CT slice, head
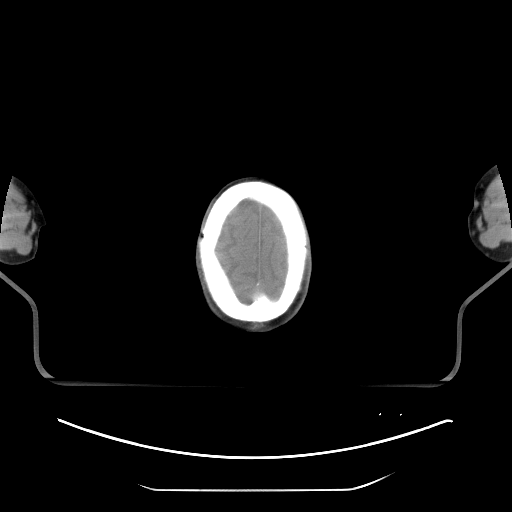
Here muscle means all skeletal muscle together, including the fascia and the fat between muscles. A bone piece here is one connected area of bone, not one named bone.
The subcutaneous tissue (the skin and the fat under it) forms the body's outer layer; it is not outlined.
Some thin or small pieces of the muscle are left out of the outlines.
Outlines (x, y in pixels):
right arm: 13,175 15,175 23,180 31,189 37,199 46,219 45,225 41,228 39,232 38,248 35,257 32,260 19,265 8,265 0,262 0,228 2,221 2,212 4,209 4,205 6,200 6,194 8,191 10,181
brain: 245,199 253,200 262,204 271,210 281,226 284,236 286,250 286,270 283,280 283,285 277,297 272,298 262,292 258,295 255,295 249,303 241,301 236,294 216,252 218,240 221,235 222,228 227,217 238,204
head: 243,176 261,176 269,178 277,182 287,190 301,208 311,240 313,270 307,297 299,312 291,320 284,325 267,332 247,332 235,329 216,319 210,313 204,303 194,267 194,248 200,230 202,218 210,200 228,182
left arm: 493,165 497,166 497,169 499,172 499,176 501,178 502,186 505,193 505,196 507,199 507,205 509,210 509,219 511,220 511,261 507,262 495,262 486,258 474,248 468,235 467,217 473,204 474,186 482,174
muscle 1: 10,182 16,185 25,196 27,202 33,212 37,225 37,228 33,239 32,249 29,254 23,256 22,255 9,255 1,253 0,254 0,228 2,221 2,212 4,209 4,205 6,200 6,194 8,191
muscle 2: 498,174 501,178 502,186 507,199 507,205 509,210 509,219 511,220 511,244 510,246 505,248 501,247 496,249 489,249 482,246 477,239 474,232 475,220 480,212 484,191 490,181 495,176 497,176
muscle 3: 308,257 309,258 309,267 308,268 308,273 306,277 306,280 304,284 303,290 301,292 301,293 299,294 299,295 296,299 302,287 302,283 303,282 304,274 305,273 305,268 306,267 306,262 307,261 307,258
muscle 4: 198,256 198,258 199,259 199,266 202,273 202,279 205,284 206,289 210,296 210,298 212,300 214,304 208,297 206,293 206,291 204,288 203,282 202,281 202,278 200,275 200,270 199,269 199,265 198,264
bones: 244,180 267,181 280,186 289,192 301,210 309,234 310,255 306,258 300,290 293,303 285,313 277,318 265,322 237,320 227,316 217,307 211,298 203,279 196,244 198,237 201,235 200,225 208,206 228,186, around a hole outlined by 245,199 253,200 262,204 271,210 281,226 284,236 286,250 286,270 283,280 283,285 277,297 272,298 262,292 258,295 255,295 249,303 241,301 236,294 216,252 218,240 221,235 222,228 227,217 238,204